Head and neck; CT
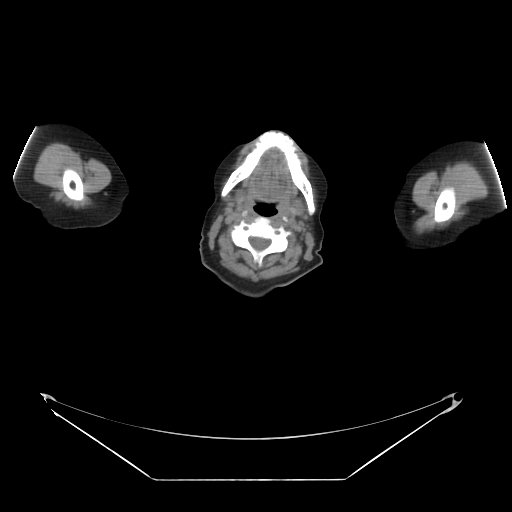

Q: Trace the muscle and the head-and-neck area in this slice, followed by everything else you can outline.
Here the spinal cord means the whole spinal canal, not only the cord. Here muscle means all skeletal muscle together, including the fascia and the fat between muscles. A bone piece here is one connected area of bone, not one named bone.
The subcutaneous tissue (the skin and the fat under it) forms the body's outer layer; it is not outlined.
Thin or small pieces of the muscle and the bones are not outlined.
A: The muscle appears in 5 outlined pieces: piece 1: 273 147; 283 153; 291 180; 302 194; 308 214; 310 216; 314 214; 313 232; 315 244; 313 259; 301 269; 291 274; 253 282; 230 273; 216 262; 208 247; 207 233; 220 206; 220 196; 224 198; 238 183; 247 178; 258 164; 262 155; inner edge: 258 204; 273 206; 275 212; 266 216; 269 218; 270 224; 273 227; 282 226; 291 232; 287 236; 288 244; 285 250; 265 255; 261 266; 254 261; 252 254; 246 248; 235 245; 231 238; 234 225; 241 220; 250 223; 262 214; 255 209; piece 2: 462 159; 473 161; 479 167; 490 186; 487 197; 478 202; 476 206; 463 217; 453 221; 446 227; 441 229; 434 229; 420 234; 416 233; 412 227; 413 224; 411 214; 411 192; 415 180; 426 171; 437 169; 441 166; 444 166; 448 162; inner edge: 445 187; 452 187; 454 189; 454 191; 455 192; 455 208; 454 209; 454 211; 453 212; 453 214; 452 216; 449 219; 445 221; 443 221; 442 222; 436 222; 434 221; 434 208; 435 207; 435 203; 436 202; 436 200; 440 192; piece 3: 54 141; 65 143; 71 146; 76 151; 82 152; 90 157; 93 157; 101 161; 110 170; 112 175; 112 180; 98 194; 96 199; 94 200; 93 205; 86 208; 75 209; 63 203; 55 202; 33 180; 32 169; 36 160; 36 157; 44 145; inner edge: 66 168; 70 168; 71 169; 73 169; 75 171; 76 171; 79 175; 83 183; 83 191; 84 192; 84 197; 82 200; 73 200; 69 198; 65 194; 63 190; 63 185; 62 184; 62 175; 63 174; 63 172; 64 170; piece 4: 297 149; 299 149; 306 156; 308 159; 308 163; 311 168; 311 171; 317 178; 316 181; 317 182; 317 188; 318 189; 319 197; 318 198; 318 205; 316 211; 316 207; 314 202; 314 195; 313 194; 312 184; 302 168; 301 160; 296 152; piece 5: 253 141; 254 146; 251 150; 250 150; 246 154; 241 163; 229 174; 224 184; 222 186; 220 190; 220 192; 219 191; 220 182; 222 180; 224 173; 226 171; 227 168; 230 164; 234 161; 234 159; 236 157; 239 150; 247 144. The head and neck is outlined by 271 128; 279 128; 291 135; 318 163; 327 179; 328 193; 320 216; 324 238; 319 253; 323 262; 294 282; 278 287; 266 297; 250 298; 234 291; 202 265; 199 255; 200 231; 205 212; 214 199; 212 180; 218 164; 236 145; 251 140; inner edge: 258 204; 267 204; 268 205; 271 205; 272 206; 273 206; 273 207; 275 209; 275 212; 274 213; 273 213; 272 214; 270 214; 269 215; 263 215; 261 213; 259 213; 257 211; 256 211; 256 210; 255 209; 255 207. The spinal cord is outlined by 249 237; 258 237; 259 238; 263 238; 264 239; 269 239; 270 240; 270 243; 265 248; 264 248; 263 249; 261 249; 260 250; 258 250; 257 249; 256 249; 255 248; 254 248; 252 246; 252 245; 250 243; 250 242; 249 241. The bones appear in 4 outlined pieces: piece 1: 270 130; 287 134; 298 147; 295 152; 300 160; 301 168; 311 184; 315 207; 312 215; 308 212; 303 194; 292 180; 284 153; 275 146; 268 148; 261 155; 247 177; 238 182; 224 197; 220 195; 230 174; 242 163; 255 146; 254 140; piece 2: 259 215; 268 217; 270 224; 273 227; 282 226; 286 230; 291 232; 287 236; 288 244; 285 250; 265 255; 262 259; 261 266; 259 266; 254 261; 252 254; 246 248; 235 245; 231 238; 231 231; 234 225; 238 224; 241 220; 250 223 with a hole at 249 237; 258 237; 259 238; 263 238; 264 239; 269 239; 270 240; 270 243; 265 248; 264 248; 263 249; 261 249; 260 250; 258 250; 257 249; 256 249; 255 248; 254 248; 252 246; 252 245; 250 243; 250 242; 249 241; piece 3: 445 187; 452 187; 454 189; 454 191; 455 192; 455 208; 454 209; 454 211; 453 212; 453 214; 452 216; 449 219; 445 221; 443 221; 442 222; 436 222; 434 221; 434 208; 435 207; 435 203; 436 202; 436 200; 440 192; piece 4: 66 168; 70 168; 71 169; 73 169; 75 171; 76 171; 79 175; 83 183; 83 191; 84 192; 84 197; 82 200; 73 200; 69 198; 65 194; 63 190; 63 185; 62 184; 62 175; 63 174; 63 172; 64 170. The left arm is outlined by 459 139; 475 139; 486 145; 496 170; 499 191; 501 190; 501 198; 503 198; 505 210; 492 219; 468 230; 457 241; 449 245; 420 251; 405 249; 397 243; 398 232; 394 221; 393 204; 397 193; 405 181; 406 173; 414 163; 433 149. The right arm is outlined by 45 122; 65 122; 83 129; 100 142; 114 157; 123 172; 130 189; 129 193; 124 200; 122 211; 112 222; 94 228; 57 228; 46 223; 38 209; 33 207; 29 203; 23 201; 17 195; 12 182; 16 168; 18 166; 30 135; 38 124.